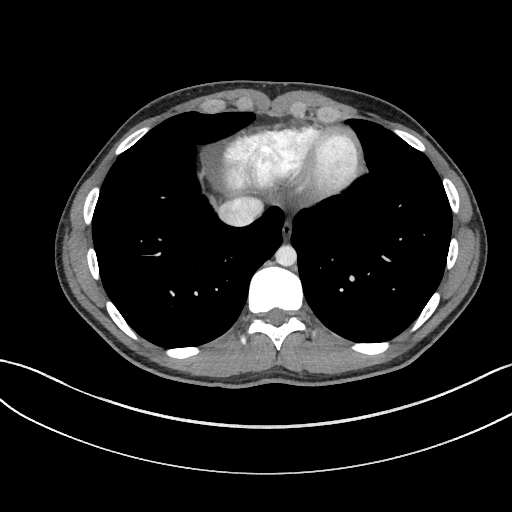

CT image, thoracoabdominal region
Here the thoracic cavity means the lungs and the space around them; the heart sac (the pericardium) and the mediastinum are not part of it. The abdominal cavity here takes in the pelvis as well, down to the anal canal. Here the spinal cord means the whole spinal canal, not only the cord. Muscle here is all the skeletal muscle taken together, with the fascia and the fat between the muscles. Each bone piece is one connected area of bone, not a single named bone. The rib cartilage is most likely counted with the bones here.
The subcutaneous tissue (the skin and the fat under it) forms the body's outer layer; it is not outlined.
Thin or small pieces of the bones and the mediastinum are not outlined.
Outlines:
thoracic cavity 1: [[164,349],[200,346],[230,328],[246,304],[252,275],[281,243],[284,214],[278,206],[270,206],[248,227],[225,226],[201,194],[196,178],[196,145],[239,130],[251,121],[253,112],[191,112],[169,118],[118,156],[100,187],[91,229],[102,285],[136,333]]
thoracic cavity 2: [[352,342],[390,340],[410,327],[441,280],[452,225],[452,213],[441,178],[424,153],[412,148],[391,131],[362,120],[346,122],[361,140],[369,173],[358,177],[340,194],[302,209],[293,218],[291,234],[291,243],[298,254],[298,273],[305,301],[325,326]]
spinal cord: [[276,326],[279,326],[282,323],[283,323],[287,319],[287,318],[289,315],[288,314],[288,313],[285,311],[283,311],[282,310],[281,310],[280,309],[278,309],[277,308],[274,308],[264,315],[267,320],[268,320],[271,323],[274,324]]
mediastinum 1: [[238,227],[248,226],[256,221],[266,211],[270,203],[260,195],[257,195],[253,192],[224,196],[219,192],[213,191],[206,181],[200,166],[198,153],[201,146],[204,144],[199,144],[197,145],[196,169],[197,178],[202,190],[202,194],[216,215],[225,225]]
mediastinum 2: [[298,275],[297,273],[297,254],[290,243],[292,218],[302,208],[309,207],[303,207],[296,210],[282,209],[285,214],[285,220],[282,228],[282,243],[276,250],[274,254],[259,268],[259,269],[263,266],[266,266],[267,265],[277,265],[289,269]]
mediastinum 3: [[344,189],[351,185],[358,176],[360,176],[365,173],[368,173],[368,170],[365,165],[365,161],[363,158],[363,150],[360,143],[360,140],[358,139],[357,136],[362,151],[362,162],[358,174],[352,180],[352,181],[347,185],[345,188],[344,188]]
bones 1: [[278,351],[284,339],[290,333],[294,331],[303,331],[305,329],[304,323],[296,315],[296,312],[302,306],[303,292],[300,280],[296,274],[277,266],[267,266],[258,270],[250,281],[247,309],[256,316],[250,323],[247,333],[252,334],[259,332],[265,334]]; inner edge: [[276,326],[279,326],[282,323],[283,323],[287,319],[287,318],[289,315],[288,314],[288,313],[285,311],[283,311],[282,310],[281,310],[280,309],[278,309],[277,308],[274,308],[264,315],[267,320],[268,320],[271,323],[274,324]]
bones 2: [[134,340],[137,340],[138,339],[138,336],[126,323],[125,320],[122,317],[122,316],[120,314],[118,310],[115,307],[115,306],[109,300],[107,300],[105,302],[105,308],[106,309],[106,311],[108,315],[111,318],[113,322],[126,335],[127,335],[130,338]]
bones 3: [[412,332],[415,331],[418,328],[419,328],[431,316],[431,315],[435,311],[440,301],[440,294],[437,291],[436,291],[431,296],[431,297],[427,302],[426,305],[423,308],[421,313],[411,326],[411,328],[410,330]]
bones 4: [[366,355],[375,355],[376,354],[379,354],[380,353],[382,353],[386,351],[389,348],[390,346],[390,343],[389,341],[386,341],[385,342],[381,342],[380,343],[353,343],[353,344],[350,347],[350,348],[353,351],[355,351],[358,353],[365,354]]
bones 5: [[88,226],[89,226],[91,223],[91,219],[93,215],[93,211],[94,210],[94,208],[95,207],[95,205],[98,198],[98,195],[99,194],[99,187],[93,187],[87,194],[84,201],[84,204],[83,205],[83,221],[85,225],[87,225]]
bones 6: [[453,214],[458,214],[459,212],[459,208],[460,207],[460,205],[459,204],[459,196],[458,195],[457,190],[453,183],[448,178],[445,177],[442,179],[442,183],[443,184],[445,192],[447,195],[447,197],[449,201],[449,204],[450,205],[450,207]]
bones 7: [[116,156],[119,155],[122,152],[123,152],[125,150],[129,148],[132,145],[133,145],[140,138],[141,138],[148,131],[149,131],[150,127],[146,126],[145,127],[140,128],[133,133],[132,133],[130,135],[129,135],[121,142],[120,142],[117,146],[114,152]]
bones 8: [[177,359],[186,359],[187,358],[189,358],[190,357],[194,357],[198,354],[199,354],[201,351],[198,347],[185,347],[184,348],[171,348],[170,349],[166,349],[164,351],[164,353],[167,356],[168,356],[169,357],[171,357],[172,358],[176,358]]
bones 9: [[422,152],[424,152],[425,151],[425,146],[423,144],[423,143],[421,142],[417,138],[416,138],[411,134],[405,131],[403,131],[399,129],[393,129],[392,131],[396,135],[397,135],[400,138],[401,138],[405,142],[406,142],[412,147]]
bones 10: [[95,280],[100,280],[99,278],[99,269],[98,268],[97,259],[96,258],[96,255],[95,254],[94,249],[93,247],[90,247],[87,250],[86,259],[87,260],[87,264],[88,265],[88,268],[90,271],[90,273],[92,277]]
bones 11: [[447,270],[449,270],[452,268],[452,267],[455,263],[455,261],[457,258],[457,255],[458,254],[458,242],[454,237],[452,237],[451,238],[451,240],[450,241],[450,244],[449,245],[449,250],[448,251],[448,254],[447,255],[447,262],[446,263],[446,269]]
abdominal cavity: [[224,195],[252,191],[245,180],[244,169],[251,152],[260,140],[276,125],[286,120],[296,118],[291,115],[284,117],[268,117],[266,115],[255,114],[252,121],[239,131],[229,134],[220,140],[213,141],[202,146],[199,157],[206,179],[213,190],[219,191]]
muscle: [[205,378],[240,377],[248,374],[257,373],[270,369],[275,365],[281,365],[285,368],[301,374],[304,373],[308,375],[318,376],[319,377],[343,376],[349,374],[351,372],[361,370],[373,365],[385,363],[406,352],[431,332],[458,305],[468,291],[475,277],[475,274],[477,270],[477,266],[479,261],[478,226],[471,208],[468,195],[461,180],[455,172],[449,167],[446,161],[425,138],[414,130],[402,124],[384,119],[369,111],[355,108],[348,104],[337,101],[316,91],[294,90],[285,92],[271,98],[268,95],[259,90],[251,88],[236,88],[235,89],[228,89],[218,91],[207,95],[196,97],[183,103],[178,104],[159,115],[156,115],[153,117],[145,119],[130,128],[113,145],[108,153],[102,159],[93,173],[82,184],[73,201],[70,213],[66,222],[66,225],[64,227],[63,241],[62,242],[62,262],[64,267],[64,272],[66,276],[66,279],[78,302],[95,319],[128,348],[137,354],[144,356],[149,360],[153,361],[161,366],[166,367],[169,369],[173,369],[179,372],[186,373],[192,376],[204,377]] with holes at [[177,359],[199,354],[198,347],[230,328],[246,304],[256,316],[247,333],[265,334],[278,351],[290,333],[305,329],[296,315],[304,299],[325,326],[353,343],[350,347],[353,351],[366,355],[386,351],[391,339],[409,327],[415,331],[439,304],[436,289],[444,270],[452,268],[458,254],[458,242],[451,236],[452,215],[458,214],[460,207],[455,186],[438,175],[424,154],[425,146],[417,138],[362,120],[336,125],[291,115],[191,112],[169,118],[152,129],[148,126],[138,129],[119,143],[114,152],[116,160],[101,186],[93,187],[85,198],[83,221],[91,226],[93,239],[86,259],[92,277],[101,281],[106,292],[109,299],[105,308],[113,322],[130,338],[137,340],[140,336]] and at [[243,344],[244,344],[245,344],[245,343],[246,342],[246,341],[246,340],[246,339],[245,338],[245,337],[244,336],[243,335],[242,335],[241,336],[241,337],[240,338],[240,339],[240,340],[241,341],[241,342],[242,343]]
pericardium: [[289,209],[310,206],[323,198],[330,197],[343,189],[357,174],[361,162],[361,151],[356,135],[348,125],[328,124],[319,119],[293,119],[276,126],[256,146],[245,167],[246,180],[248,184],[254,192],[264,197],[271,203],[271,205],[278,205],[281,208]]
torso: [[227,390],[269,383],[328,387],[399,371],[434,344],[475,295],[487,261],[487,234],[475,196],[443,148],[400,108],[363,92],[311,82],[223,80],[188,86],[162,95],[132,114],[76,182],[54,240],[56,275],[68,302],[118,354],[137,367],[165,380]]